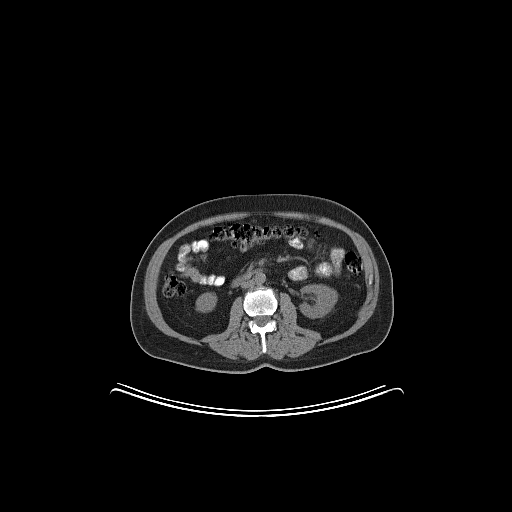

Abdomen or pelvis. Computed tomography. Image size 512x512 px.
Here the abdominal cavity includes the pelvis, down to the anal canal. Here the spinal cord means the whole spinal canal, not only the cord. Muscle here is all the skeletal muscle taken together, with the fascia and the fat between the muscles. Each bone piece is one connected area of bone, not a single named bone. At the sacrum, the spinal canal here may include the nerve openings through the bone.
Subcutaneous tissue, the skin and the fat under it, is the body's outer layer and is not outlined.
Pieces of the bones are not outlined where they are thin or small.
muscle: 245,211 294,211 316,214 339,222 361,235 368,243 373,253 377,263 380,279 376,307 369,319 354,333 346,337 333,342 315,346 298,357 286,357 280,360 274,359 265,354 253,360 233,360 222,356 210,348 205,348 195,344 181,341 177,338 166,335 159,330 147,315 143,295 143,286 146,269 152,255 158,246 186,226 196,221 219,214; inner edge: 249,216 316,222 350,238 364,264 366,295 348,327 324,336 299,325 296,306 283,291 277,294 276,328 265,334 265,353 260,335 249,329 240,295 220,332 194,337 169,323 158,303 157,287 171,247 201,227
spinal cord: 256,316 268,316 269,317 270,317 270,319 264,325 263,325 262,326 260,326 259,325 258,325 255,322 255,321 254,320 254,317 255,317
torso: 240,193 317,195 345,205 364,220 386,255 393,279 393,321 386,338 378,347 312,369 281,371 262,367 249,373 221,373 188,367 152,357 140,348 130,325 130,294 137,265 147,245 162,226 184,209 208,199
bones: 259,287 273,288 278,300 278,306 274,313 276,328 265,334 266,346 265,353 262,352 262,344 260,335 258,333 251,332 249,329 248,326 249,317 243,308 243,298 245,293 247,291 250,290 252,291, around a hole outlined by 256,316 268,316 269,317 270,317 270,319 264,325 263,325 262,326 260,326 259,325 258,325 255,322 255,321 254,320 254,317 255,317
abdominal cavity: 249,216 316,222 350,238 364,264 366,295 348,327 324,336 299,325 290,296 283,291 277,295 271,286 259,286 247,290 243,297 237,296 220,332 194,337 169,323 158,303 157,287 171,247 201,227